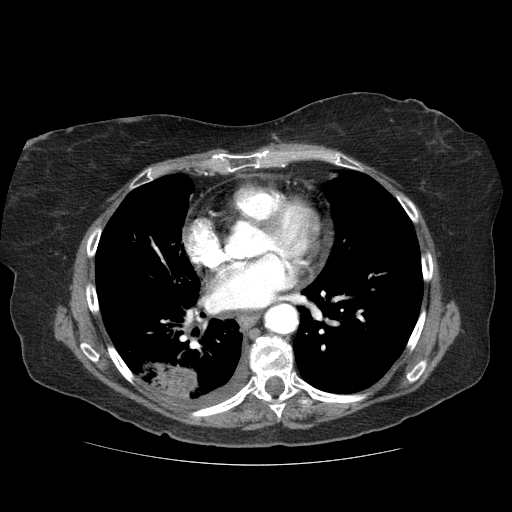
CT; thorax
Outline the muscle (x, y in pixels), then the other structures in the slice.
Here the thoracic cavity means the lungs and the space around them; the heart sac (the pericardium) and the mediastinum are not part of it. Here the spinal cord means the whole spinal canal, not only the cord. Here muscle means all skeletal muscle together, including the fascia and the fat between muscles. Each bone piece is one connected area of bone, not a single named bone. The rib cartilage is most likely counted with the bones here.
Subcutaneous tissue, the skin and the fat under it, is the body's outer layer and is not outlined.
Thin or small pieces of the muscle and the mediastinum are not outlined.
muscle 1: [[132,178],[103,228],[94,227],[86,240],[86,255],[94,258],[94,283],[85,285],[87,306],[93,316],[101,317],[112,343],[105,345],[106,351],[120,374],[132,385],[138,379],[170,404],[193,410],[188,414],[192,418],[228,411],[252,397],[266,402],[279,420],[286,401],[295,396],[306,407],[315,401],[349,404],[366,399],[371,392],[359,392],[381,379],[404,350],[414,350],[427,316],[421,305],[434,262],[429,250],[421,252],[414,202],[435,244],[443,297],[453,299],[459,307],[461,330],[415,391],[310,428],[291,429],[280,423],[253,430],[205,427],[150,410],[88,372],[70,349],[56,340],[52,324],[57,305],[69,301],[73,264],[86,230],[106,199]]; inner edges: [[423,359],[426,359],[426,360],[427,361],[427,365],[426,366],[424,371],[422,373],[422,374],[414,382],[413,382],[412,383],[409,383],[408,382],[408,380],[406,377],[406,374],[408,372],[409,372],[413,368],[413,367],[419,361],[420,361]], then [[81,342],[86,342],[88,344],[89,344],[99,354],[99,359],[98,360],[98,361],[97,362],[97,363],[95,363],[94,362],[93,362],[91,360],[90,360],[83,353],[83,352],[82,351],[82,350],[80,348],[80,343]]
muscle 2: [[272,142],[273,143],[278,143],[279,142],[305,142],[306,143],[313,143],[314,144],[324,145],[331,148],[335,148],[341,151],[339,150],[332,150],[325,147],[308,148],[307,149],[301,149],[300,148],[273,148],[271,149],[270,148],[265,148],[262,150],[254,151],[248,154],[230,153],[229,152],[215,152],[212,153],[206,158],[203,158],[197,161],[194,161],[192,163],[187,163],[182,161],[181,162],[164,163],[155,166],[149,165],[152,163],[158,161],[162,161],[168,158],[173,158],[174,157],[179,157],[180,156],[192,154],[193,153],[204,152],[215,148],[223,148],[228,150],[228,151],[231,153],[241,153],[242,152],[254,150],[260,146],[266,145]]
muscle 3: [[344,153],[355,158],[357,160],[365,164],[367,164],[377,169],[379,171],[384,173],[389,177],[392,178],[400,185],[401,189],[405,193],[402,191],[396,191],[393,195],[377,180],[367,173],[365,173],[365,169],[364,167],[360,164],[359,162],[351,158]]
mediastinum 1: [[299,290],[301,290],[298,296],[297,309],[300,318],[295,336],[291,344],[280,336],[263,334],[258,336],[250,345],[247,341],[244,341],[243,335],[240,331],[237,322],[232,318],[219,317],[216,308],[218,310],[256,310],[285,298],[286,296]]
mediastinum 2: [[306,160],[319,160],[342,168],[335,177],[324,182],[321,189],[313,179],[296,173],[250,172],[236,175],[210,185],[198,194],[189,208],[183,231],[189,199],[195,189],[193,181],[186,172],[197,172],[205,176],[224,175],[246,168],[283,168],[291,162]]
torso: [[354,91],[421,100],[481,136],[494,162],[503,192],[492,228],[496,290],[489,322],[490,356],[472,387],[399,425],[352,439],[226,448],[152,434],[30,377],[9,313],[14,274],[0,262],[6,198],[29,138],[76,124],[150,113],[228,125],[259,123]]
bones 1: [[263,335],[280,337],[291,345],[294,369],[313,387],[338,394],[370,394],[349,403],[315,400],[310,406],[299,402],[299,396],[295,395],[285,401],[279,419],[266,401],[253,396],[222,412],[190,416],[194,410],[228,399],[248,382],[252,374],[250,346]]; inner edge: [[273,376],[276,376],[277,377],[280,378],[280,379],[282,381],[282,382],[283,383],[283,390],[280,393],[279,393],[277,395],[272,395],[271,394],[270,394],[268,392],[267,392],[267,391],[265,388],[265,386],[266,385],[266,382],[271,377],[272,377]]
bones 2: [[320,148],[343,153],[359,163],[363,167],[364,172],[319,159],[295,160],[283,167],[246,167],[234,172],[208,175],[196,171],[191,166],[161,175],[127,192],[134,178],[149,166],[155,167],[182,162],[192,164],[215,153],[248,155],[265,149],[307,150]]
bones 3: [[107,344],[112,344],[113,345],[113,346],[115,348],[123,361],[126,364],[126,365],[129,368],[132,373],[137,378],[137,379],[134,382],[134,384],[130,383],[121,374],[121,373],[115,366],[114,363],[112,361],[108,354],[107,348],[106,347],[106,345]]
bones 4: [[423,306],[425,307],[425,309],[426,310],[426,316],[425,317],[425,320],[423,324],[423,327],[422,328],[421,333],[419,336],[419,338],[413,350],[411,352],[409,352],[406,349],[405,349],[406,347],[406,344],[411,335],[411,333],[418,319],[421,308]]
bones 5: [[396,192],[402,192],[404,194],[405,194],[413,202],[418,213],[418,221],[416,223],[413,223],[412,222],[412,221],[410,219],[410,218],[408,216],[408,215],[406,213],[406,212],[404,210],[404,209],[402,207],[398,200],[395,197],[394,195]]
bones 6: [[89,282],[93,283],[95,286],[95,290],[96,291],[96,295],[97,296],[97,301],[98,302],[98,305],[99,306],[100,317],[98,315],[93,315],[90,311],[90,309],[88,306],[88,302],[87,301],[87,298],[86,297],[86,285],[87,283]]
bones 7: [[427,250],[430,252],[430,253],[431,254],[431,256],[432,257],[432,261],[433,262],[433,272],[432,273],[432,277],[431,278],[431,279],[427,282],[424,282],[424,281],[423,280],[423,275],[422,274],[422,264],[421,263],[421,253],[422,253]]
bones 8: [[98,226],[101,226],[102,227],[102,231],[101,232],[101,234],[100,235],[100,237],[98,241],[98,244],[96,248],[95,255],[94,257],[91,257],[89,258],[87,255],[87,240],[91,232],[94,229],[94,228]]
bones 9: [[423,359],[426,359],[426,360],[427,361],[427,365],[426,366],[424,371],[422,373],[422,374],[414,382],[413,382],[412,383],[409,383],[408,382],[408,380],[406,377],[406,374],[408,372],[409,372],[413,368],[413,367],[419,361],[420,361]]
bones 10: [[81,342],[86,342],[88,344],[89,344],[99,354],[99,359],[98,360],[98,361],[97,362],[97,363],[95,363],[94,362],[93,362],[91,360],[90,360],[83,353],[83,352],[82,351],[82,350],[80,348],[80,343]]
pericardium: [[250,173],[284,175],[296,174],[300,177],[313,180],[323,192],[331,210],[329,216],[333,225],[333,237],[321,269],[314,279],[301,289],[256,309],[218,309],[212,303],[202,298],[201,280],[185,249],[183,232],[190,208],[201,192],[210,186],[230,178]]
spinal cord: [[273,376],[276,376],[277,377],[280,378],[280,379],[282,381],[282,382],[283,383],[283,390],[280,393],[279,393],[277,395],[272,395],[271,394],[270,394],[268,392],[267,392],[267,391],[265,388],[265,386],[266,385],[266,382],[271,377],[272,377]]
thoracic cavity 1: [[174,172],[184,172],[194,186],[188,199],[181,240],[200,280],[201,298],[215,307],[219,318],[234,320],[243,341],[249,345],[251,374],[247,382],[228,398],[197,409],[175,405],[158,397],[133,373],[104,325],[95,285],[99,241],[120,203],[132,190]]
thoracic cavity 2: [[343,168],[367,174],[397,200],[414,227],[420,250],[423,281],[420,310],[403,351],[375,383],[351,393],[322,390],[303,379],[294,367],[292,346],[301,318],[298,309],[300,293],[322,269],[334,239],[334,224],[330,214],[332,210],[322,185],[335,178]]